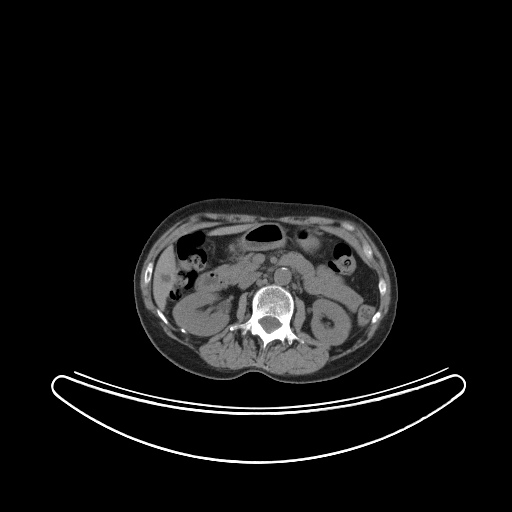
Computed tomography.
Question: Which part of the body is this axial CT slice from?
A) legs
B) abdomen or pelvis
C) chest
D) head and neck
Answer: B) abdomen or pelvis
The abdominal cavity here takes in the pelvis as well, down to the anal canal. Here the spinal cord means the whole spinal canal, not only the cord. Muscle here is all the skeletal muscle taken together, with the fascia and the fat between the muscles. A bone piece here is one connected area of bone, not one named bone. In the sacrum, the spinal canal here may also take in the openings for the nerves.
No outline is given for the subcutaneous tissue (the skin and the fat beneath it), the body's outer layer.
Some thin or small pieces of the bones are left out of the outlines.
Outlines:
torso: [[217,197],[326,204],[355,213],[373,228],[384,243],[395,267],[399,297],[392,328],[369,359],[334,379],[287,383],[259,372],[248,372],[227,380],[206,378],[181,369],[160,354],[145,334],[136,313],[132,290],[135,263],[149,235],[168,214],[188,203]]
bones 1: [[268,284],[285,288],[293,297],[294,311],[290,328],[304,341],[303,343],[293,340],[291,344],[288,344],[286,340],[282,342],[275,339],[263,348],[263,342],[257,335],[249,331],[243,334],[240,328],[230,330],[231,325],[241,324],[250,317],[254,293]] with a hole at [[264,317],[271,317],[272,318],[274,318],[275,319],[276,319],[279,322],[280,325],[277,328],[274,329],[272,331],[271,331],[270,332],[267,332],[263,328],[263,327],[259,322],[260,319],[261,319]]
bones 2: [[149,262],[153,262],[153,269],[152,270],[152,273],[151,274],[151,279],[150,280],[150,281],[147,284],[145,284],[144,283],[144,274],[145,273],[145,270],[146,269],[146,267],[147,266],[147,265],[148,264],[148,263]]
bones 3: [[363,240],[364,241],[365,241],[369,245],[369,246],[370,247],[370,248],[371,249],[371,250],[372,251],[372,254],[373,255],[373,257],[371,259],[369,259],[365,255],[365,254],[364,253],[364,252],[363,251],[363,250],[362,249],[362,242],[363,241]]
bones 4: [[378,310],[379,311],[380,311],[380,312],[381,313],[381,314],[380,315],[380,317],[374,323],[371,323],[371,319],[372,318],[372,317],[373,316],[373,315]]
bones 5: [[157,309],[158,310],[159,310],[161,312],[161,313],[162,314],[163,314],[165,316],[165,317],[167,319],[167,320],[168,321],[168,323],[167,324],[166,324],[158,316],[158,315],[157,314]]
muscle 1: [[200,212],[239,213],[267,217],[321,216],[327,218],[349,220],[361,226],[366,231],[382,255],[390,278],[391,291],[390,292],[389,308],[373,336],[364,345],[356,350],[337,359],[329,361],[320,369],[312,373],[300,375],[276,374],[263,368],[255,366],[248,366],[239,369],[216,368],[208,364],[188,347],[167,336],[158,325],[157,320],[148,311],[144,305],[139,286],[141,269],[149,250],[155,241],[171,225],[179,220]] with holes at [[258,221],[309,225],[348,242],[385,282],[380,317],[346,347],[332,347],[302,330],[306,307],[297,296],[290,328],[303,343],[275,339],[263,348],[257,335],[240,328],[228,326],[199,339],[166,324],[157,314],[151,282],[144,283],[148,263],[198,229]] and at [[363,240],[364,241],[365,241],[369,245],[369,246],[370,247],[370,248],[371,249],[371,250],[372,251],[372,254],[373,255],[373,257],[371,259],[369,259],[365,255],[365,254],[364,253],[364,252],[363,251],[363,250],[362,249],[362,242],[363,241]] and at [[348,223],[349,224],[350,224],[351,224],[352,225],[353,226],[354,227],[354,228],[354,229],[353,230],[352,230],[351,230],[350,230],[349,229],[348,229],[347,228],[346,227],[345,226],[345,225],[346,224],[347,224]]
muscle 2: [[244,293],[247,293],[248,294],[247,295],[247,302],[248,303],[248,305],[250,306],[250,315],[249,317],[245,321],[241,323],[235,323],[233,324],[237,320],[237,317],[236,316],[236,311],[238,307],[238,302],[239,301],[239,299],[241,295]]
spinal cord: [[264,317],[271,317],[272,318],[274,318],[275,319],[276,319],[279,322],[280,325],[277,328],[274,329],[272,331],[271,331],[270,332],[267,332],[263,328],[263,327],[259,322],[260,319],[261,319]]
abdominal cavity: [[258,221],[322,229],[348,242],[375,271],[377,310],[363,333],[350,345],[332,347],[302,330],[306,319],[304,301],[276,283],[259,287],[250,305],[249,294],[242,293],[236,320],[206,339],[176,328],[156,307],[151,280],[154,263],[164,248],[198,229]]